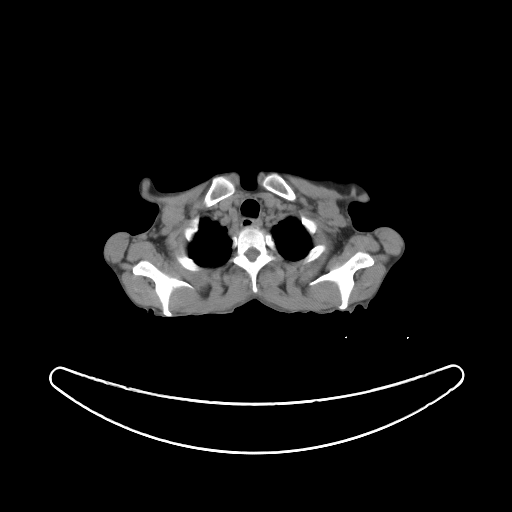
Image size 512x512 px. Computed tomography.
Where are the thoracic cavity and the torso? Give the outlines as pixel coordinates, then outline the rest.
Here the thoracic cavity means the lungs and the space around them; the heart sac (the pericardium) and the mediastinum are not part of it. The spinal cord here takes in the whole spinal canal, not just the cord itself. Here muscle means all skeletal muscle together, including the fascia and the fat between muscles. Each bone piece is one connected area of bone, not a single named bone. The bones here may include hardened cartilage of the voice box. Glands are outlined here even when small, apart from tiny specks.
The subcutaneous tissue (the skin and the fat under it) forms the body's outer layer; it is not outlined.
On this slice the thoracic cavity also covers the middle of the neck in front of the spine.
Outlines (x, y in pixels):
thoracic cavity: [[250,195],[273,202],[284,214],[300,221],[312,245],[307,253],[297,260],[286,259],[279,252],[269,232],[249,224],[230,235],[231,252],[225,262],[213,266],[198,264],[188,255],[189,245],[199,230],[200,219],[224,204],[232,202],[238,205],[241,199]]
torso: [[229,170],[249,190],[260,170],[363,186],[369,201],[352,202],[348,212],[357,229],[376,227],[392,267],[367,308],[287,314],[253,300],[227,314],[162,318],[135,306],[121,284],[136,259],[135,234],[158,212],[140,196],[140,179],[149,176],[167,192]]
thyroid glands: [[236,200],[237,200],[238,200],[239,200],[239,201],[239,202],[239,203],[238,204],[237,204],[236,204],[235,203],[234,202],[235,201]]
left arm: [[378,226],[390,226],[394,228],[396,230],[397,230],[401,234],[401,235],[404,239],[404,241],[405,242],[405,251],[403,255],[401,257],[401,258],[393,266],[391,265],[391,264],[384,256],[384,255],[380,250],[377,244],[377,227]]
right arm: [[119,230],[124,230],[125,231],[129,232],[131,234],[134,234],[134,248],[135,249],[135,259],[134,260],[134,262],[131,268],[129,270],[128,273],[120,285],[115,274],[105,263],[103,256],[102,255],[102,249],[103,248],[104,243],[107,238],[112,233]]
bones 1: [[249,225],[258,227],[269,233],[275,243],[278,252],[281,255],[281,258],[268,262],[258,271],[256,276],[256,286],[257,287],[257,292],[256,293],[253,292],[252,290],[251,279],[249,274],[243,268],[228,261],[232,252],[231,235],[235,234],[245,226]] with a hole at [[250,248],[253,248],[254,249],[255,249],[256,250],[257,250],[258,251],[258,252],[259,253],[258,254],[258,255],[256,257],[256,258],[254,260],[253,260],[252,261],[251,260],[250,260],[245,255],[245,253],[246,252],[246,251],[247,250],[248,250]]
bones 2: [[357,251],[369,253],[374,262],[371,266],[360,268],[355,271],[353,274],[354,284],[348,298],[348,305],[345,309],[339,309],[338,307],[341,303],[341,295],[335,282],[323,280],[313,285],[309,285],[309,283],[319,276],[327,273],[332,268],[339,266]]
bones 3: [[141,260],[149,261],[166,274],[185,281],[193,287],[190,288],[186,286],[181,286],[175,288],[172,291],[168,302],[168,309],[172,314],[171,316],[166,316],[163,314],[162,305],[155,291],[155,283],[153,280],[147,276],[135,275],[132,272],[133,266]]
bones 4: [[219,175],[222,175],[229,180],[230,180],[233,183],[235,187],[235,190],[230,196],[224,199],[222,199],[217,203],[209,207],[207,207],[204,204],[204,202],[203,201],[204,200],[204,196],[211,183],[211,180],[212,178],[213,178],[215,176],[218,176]]
bones 5: [[274,172],[275,173],[278,173],[280,174],[285,180],[285,181],[292,188],[292,189],[294,191],[296,195],[296,198],[294,201],[290,201],[289,200],[287,200],[263,187],[262,185],[262,181],[263,179],[268,174],[270,173],[273,173]]
bones 6: [[182,254],[185,254],[186,255],[187,255],[190,258],[191,258],[198,265],[201,266],[201,269],[200,270],[198,270],[197,271],[193,271],[192,270],[189,270],[188,269],[186,269],[184,267],[183,267],[178,262],[178,261],[176,258],[177,255],[181,255]]
bones 7: [[318,244],[324,244],[325,245],[325,249],[324,251],[317,258],[309,262],[306,262],[305,263],[304,262],[300,262],[299,261],[300,259],[303,258],[308,253],[310,249],[313,246],[315,245],[317,245]]
bones 8: [[197,215],[199,218],[199,222],[198,223],[198,230],[194,234],[192,240],[190,242],[189,242],[188,241],[187,241],[187,240],[186,239],[186,238],[184,235],[184,229],[187,226],[188,226],[189,225],[191,219]]
bones 9: [[302,214],[303,215],[304,215],[306,217],[307,217],[308,218],[309,218],[310,219],[313,220],[315,222],[315,223],[317,226],[315,232],[312,235],[310,235],[308,233],[308,232],[305,229],[305,228],[301,223],[301,221],[300,220],[300,217]]
muscle: [[263,173],[269,173],[262,179],[262,187],[290,202],[297,195],[282,175],[342,194],[353,192],[355,197],[344,212],[349,235],[373,235],[385,228],[399,236],[401,250],[385,264],[384,273],[369,297],[349,305],[354,274],[375,262],[369,252],[357,250],[308,283],[309,286],[323,281],[336,284],[340,303],[323,310],[288,310],[251,296],[228,309],[173,314],[169,309],[173,291],[194,287],[147,259],[135,263],[131,272],[152,280],[162,313],[132,298],[122,281],[122,272],[107,259],[105,252],[117,234],[130,240],[155,240],[152,235],[159,228],[161,214],[150,195],[178,194],[210,181],[202,201],[209,208],[236,190],[224,174],[236,174],[239,185],[249,190],[256,187]] with a hole at [[250,195],[273,202],[298,220],[302,214],[313,220],[317,227],[309,236],[311,244],[324,244],[324,251],[305,263],[282,256],[268,262],[257,273],[256,293],[249,274],[227,260],[197,271],[183,267],[176,257],[189,254],[184,229],[191,219]]
spinal cord: [[250,248],[253,248],[254,249],[255,249],[256,250],[257,250],[258,251],[258,252],[259,253],[258,254],[258,255],[256,257],[256,258],[254,260],[253,260],[252,261],[251,260],[250,260],[245,255],[245,253],[246,252],[246,251],[247,250],[248,250]]